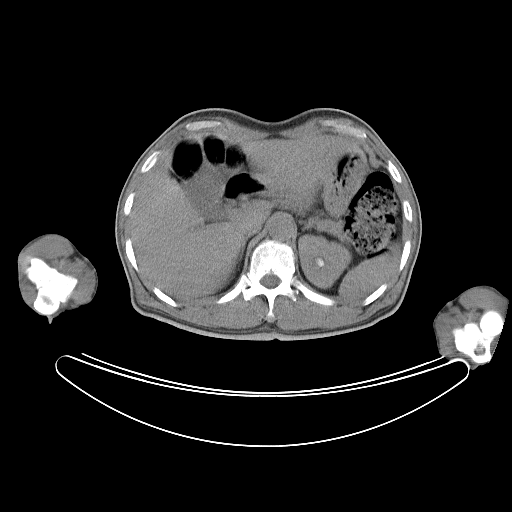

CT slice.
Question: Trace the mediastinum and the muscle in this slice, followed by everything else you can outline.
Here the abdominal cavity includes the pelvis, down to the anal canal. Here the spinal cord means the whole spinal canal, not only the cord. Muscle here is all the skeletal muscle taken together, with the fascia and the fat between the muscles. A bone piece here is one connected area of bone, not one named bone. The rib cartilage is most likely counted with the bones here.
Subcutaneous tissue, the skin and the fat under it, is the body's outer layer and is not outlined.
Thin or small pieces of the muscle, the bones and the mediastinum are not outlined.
Answer: The mediastinum is outlined by 277,216 287,216 291,219 290,221 293,224 293,248 294,249 294,253 294,251 292,247 289,244 285,242 278,241 275,239 271,239 270,238 265,238 262,240 260,240 267,231 267,228 269,225 269,223 275,217. The muscle appears in 3 outlined pieces: piece 1: 206,116 221,116 222,117 226,117 241,125 254,129 263,130 264,131 278,131 279,130 291,128 305,122 310,118 318,117 319,116 329,116 330,117 343,117 344,118 347,118 350,119 360,126 362,126 367,129 387,150 402,170 412,194 416,208 417,233 416,234 415,247 407,268 407,271 405,275 405,278 403,281 401,290 395,301 392,304 379,309 368,318 356,323 353,323 344,326 340,326 331,329 325,329 324,328 315,327 314,328 298,329 297,330 284,330 278,327 274,323 267,323 266,322 264,322 262,324 256,326 248,327 247,328 207,327 206,326 197,325 184,320 175,318 165,312 160,311 157,309 154,309 152,307 148,307 140,304 136,298 134,283 127,265 127,262 124,255 124,251 121,245 121,241 120,240 119,215 120,214 120,209 124,194 135,170 143,158 169,131 173,129 177,125 187,120 195,119 198,117 205,117; inner edge: 326,119 364,131 362,141 401,176 395,186 411,207 412,220 403,218 410,250 383,293 367,305 332,296 335,303 323,305 300,291 295,301 279,294 268,318 262,294 245,300 240,293 224,303 216,302 219,296 177,301 178,306 161,300 125,253 130,236 123,207 146,175 141,167 151,153 194,121 219,121 248,138 293,138 308,132 346,134 322,125; piece 2: 48,235 65,240 71,246 73,255 82,260 92,272 93,289 84,302 59,309 60,305 70,298 78,278 60,271 39,256 30,255 27,256 28,264 24,273 36,292 32,305 26,298 20,267 21,255 32,243; piece 3: 481,287 493,291 506,301 507,309 505,317 496,309 490,308 486,309 477,321 467,321 462,325 455,326 451,330 456,350 473,362 464,356 444,354 440,347 436,330 438,319 450,307 457,305 459,299 465,293. The spinal cord is outlined by 268,274 273,274 274,275 275,275 279,279 279,282 278,283 278,284 277,285 276,285 274,287 272,287 271,288 269,288 268,287 266,287 264,285 263,285 260,282 260,281 261,280 261,279 265,275 267,275. The torso is outlined by 210,107 230,108 267,121 285,119 315,107 338,108 359,116 377,132 409,175 421,212 417,258 403,300 391,315 368,327 327,337 239,340 190,332 142,315 133,308 116,247 119,194 137,158 166,128 188,112. The right arm is outlined by 48,232 55,232 68,238 77,249 87,257 93,264 98,278 96,293 89,303 75,310 62,313 58,317 54,318 50,323 45,315 37,313 26,305 23,301 18,287 17,275 18,274 17,257 21,248 34,237. The bones appear in 13 outlined pieces: piece 1: 265,239 289,245 295,257 294,275 335,303 314,302 300,291 295,295 295,301 279,294 273,302 274,316 268,318 269,304 262,294 245,300 240,293 229,301 217,303 216,300 233,288 241,274 248,270 252,251; inner edge: 268,274 273,274 274,275 275,275 279,279 279,282 278,283 278,284 277,285 276,285 274,287 272,287 271,288 269,288 268,287 266,287 264,285 263,285 260,282 260,281 261,280 261,279 265,275 267,275; piece 2: 28,256 39,257 60,272 64,274 72,275 77,278 77,283 69,298 65,302 62,302 59,305 58,309 51,314 47,315 42,314 36,311 33,307 33,302 37,291 34,284 28,279 25,273 25,269 29,264; piece 3: 490,309 496,310 503,317 504,319 503,326 499,335 495,337 490,344 490,350 492,355 489,361 484,363 476,363 468,356 457,350 455,346 452,330 455,327 462,326 467,322 472,321 477,322 481,315 486,310; piece 4: 326,119 334,119 340,123 347,124 350,126 353,126 356,128 359,128 365,132 366,134 366,138 364,140 361,140 359,138 357,138 352,135 350,135 338,128 334,128 331,126 322,125 320,121 322,120 325,120; piece 5: 202,120 212,120 213,121 219,121 221,122 221,125 219,126 215,126 214,127 204,127 203,128 201,128 200,129 196,129 195,130 188,130 186,129 185,127 186,124 190,123 191,122 193,122 194,121 201,121; piece 6: 127,238 130,238 131,240 131,244 132,245 133,252 134,253 134,255 135,256 135,259 136,260 136,263 137,264 137,266 139,270 138,272 135,270 135,269 127,258 127,256 125,253 125,242; piece 7: 156,150 159,150 160,151 160,153 158,155 158,157 157,158 157,160 155,162 154,165 147,171 146,171 145,172 141,172 141,167 142,166 142,165 143,164 144,161 151,154 151,153 153,151 155,151; piece 8: 384,283 387,283 387,287 386,288 386,289 383,292 383,293 367,305 363,305 362,304 362,302 363,301 363,300 367,296 368,296 371,293 372,293 377,288 378,288 382,284 383,284; piece 9: 406,239 409,239 410,240 410,250 409,251 409,255 407,258 407,260 403,268 400,271 399,271 398,269 398,267 399,266 399,263 400,262 400,258 401,257 401,254 402,253 402,250 403,249 404,242; piece 10: 153,287 156,287 157,288 158,288 162,292 163,292 165,294 166,294 168,296 169,296 172,299 173,299 178,304 178,306 172,306 171,305 168,304 166,302 161,300 153,292 153,290 152,289 153,288; piece 11: 387,160 390,160 395,165 395,166 397,168 397,169 399,171 399,172 400,173 400,175 401,176 401,182 400,183 399,183 398,182 397,182 392,177 392,176 390,174 390,173 389,172 389,171 387,169; piece 12: 403,200 407,200 409,202 409,204 410,205 410,206 411,207 411,211 412,212 412,220 410,222 409,221 408,221 404,217 404,214 403,213 403,208 402,207 402,201; piece 13: 131,192 134,192 135,193 134,195 134,197 133,198 133,202 132,203 132,205 131,206 131,209 129,212 129,214 128,215 125,215 123,211 123,207 125,203 125,200 127,198 128,195. The abdominal cavity is outlined by 220,126 248,138 343,133 374,151 395,181 403,214 404,241 397,268 387,282 354,301 312,289 296,272 292,219 277,215 251,251 247,270 222,295 176,301 149,283 140,273 129,237 128,216 136,192 176,136. The left arm is outlined by 479,284 488,284 495,287 508,298 508,303 503,326 501,332 499,334 497,344 491,358 487,363 472,369 465,361 463,361 461,359 447,359 440,355 435,343 432,323 437,312 446,302 451,300 467,288.